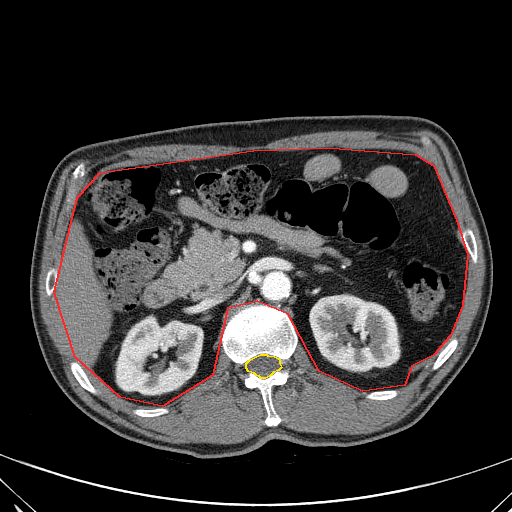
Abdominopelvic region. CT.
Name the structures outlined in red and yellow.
red: abdominal cavity; yellow: spinal cord.
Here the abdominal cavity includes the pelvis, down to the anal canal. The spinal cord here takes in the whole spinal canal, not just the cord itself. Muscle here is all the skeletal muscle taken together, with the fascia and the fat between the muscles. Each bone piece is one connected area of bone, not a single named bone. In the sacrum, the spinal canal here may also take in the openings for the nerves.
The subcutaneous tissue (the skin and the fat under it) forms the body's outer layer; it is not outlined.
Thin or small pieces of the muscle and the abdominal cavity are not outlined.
Outlined structures:
abdominal cavity: 326,147 415,154 433,165 456,220 467,254 462,305 450,335 433,355 411,366 404,385 362,391 319,371 288,314 257,301 227,308 212,375 162,406 120,397 75,357 54,292 77,197 100,172 253,150
spinal cord: 260,354 266,354 267,355 274,356 278,358 279,359 279,363 281,367 278,370 273,372 269,376 265,378 261,378 259,376 256,375 254,373 248,371 246,368 246,363 250,359
muscle: 420,128 438,134 451,153 479,230 485,275 481,302 462,354 435,388 399,421 365,434 308,433 279,425 282,419 273,403 273,388 284,385 292,376 288,362 299,342 319,372 365,392 369,400 383,401 399,393 397,389 412,375 412,366 433,356 455,328 466,291 467,255 474,264 478,262 475,235 469,227 458,229 434,165 413,152 391,148 253,149 203,159 125,164 100,171 76,199 86,174 81,161 72,170 65,188 63,209 68,211 74,206 61,241 59,266 51,266 44,278 45,293 48,297 54,294 55,312 74,357 120,398 137,406 154,407 136,407 132,410 135,415 158,417 169,412 163,406 213,375 219,356 219,333 224,316 233,305 234,311 220,336 221,347 241,368 238,376 244,386 259,391 266,426 237,443 172,443 112,421 75,393 42,320 38,290 50,205 62,171 69,163 90,155 111,155 151,145 249,146 321,131, around holes outlined by 71,361 76,361 79,364 79,365 82,368 82,369 87,375 91,383 98,391 98,393 97,394 93,394 91,393 89,391 85,389 78,382 78,381 75,378 74,375 71,371 71,369 70,368 70,362 and by 454,337 457,338 458,340 457,345 454,351 450,355 450,356 438,368 437,368 435,370 433,370 432,369 432,366 433,365 433,363 436,359 436,358 438,356 439,353 445,347 445,346 449,342 449,341 452,338 and by 423,136 425,136 426,137 427,137 432,142 432,143 435,146 435,147 436,148 436,151 434,151 432,149 432,148 431,147 430,147 429,146 426,146 424,144 423,144 423,143 421,141 421,138
torso: 352,114 419,116 443,127 460,151 490,239 493,285 482,333 465,365 427,412 412,426 366,443 306,446 272,439 244,454 199,458 128,440 81,411 45,363 30,308 38,217 46,186 60,160 89,143 181,126
bones 1: 256,302 279,306 293,323 298,337 295,350 287,362 291,376 284,384 272,388 272,403 281,419 275,426 265,424 266,410 260,391 257,388 245,386 239,376 242,368 225,353 221,342 221,336 229,318 237,310; inner edge: 260,354 266,354 267,355 274,356 278,358 279,359 279,363 281,367 278,370 273,372 269,376 265,378 261,378 259,376 256,375 254,373 248,371 246,368 246,363 250,359
bones 2: 81,162 83,162 84,163 84,170 85,171 85,174 81,178 81,182 75,194 74,203 72,205 70,209 68,210 65,210 64,209 64,205 65,204 65,200 66,199 66,188 71,179 71,175 72,174 73,170
bones 3: 466,228 469,228 472,231 474,235 474,237 475,238 475,241 477,245 477,253 478,254 477,262 476,263 474,263 472,261 470,255 466,250 465,246 458,236 458,234 457,233 457,231 458,230 463,230
bones 4: 71,361 76,361 79,364 79,365 82,368 82,369 87,375 91,383 98,391 98,393 97,394 93,394 91,393 89,391 85,389 78,382 78,381 75,378 74,375 71,371 71,369 70,368 70,362
bones 5: 454,337 457,338 458,340 457,345 454,351 450,355 450,356 438,368 437,368 435,370 433,370 432,369 432,366 433,365 433,363 436,359 436,358 438,356 439,353 445,347 445,346 449,342 449,341 452,338
bones 6: 51,267 54,267 57,269 57,271 58,272 58,277 57,278 57,283 56,284 56,286 55,287 55,289 53,293 51,295 48,296 45,290 45,278 46,277 46,275 47,274 47,272 48,270
bones 7: 392,389 396,389 398,391 398,393 394,397 392,398 390,398 389,399 384,399 383,400 374,400 373,399 369,399 367,398 364,394 364,393 366,392 367,393 368,392 372,392 373,391 379,391 380,390 391,390
bones 8: 155,407 164,407 168,409 168,412 167,413 165,413 164,414 162,414 158,416 154,416 153,417 145,417 144,416 140,416 137,414 135,414 133,412 133,410 136,408 141,408 142,409 149,409 150,408 154,408
bones 9: 423,136 425,136 426,137 427,137 432,142 432,143 435,146 435,147 436,148 436,151 434,151 432,149 432,148 431,147 430,147 429,146 426,146 424,144 423,144 423,143 421,141 421,138